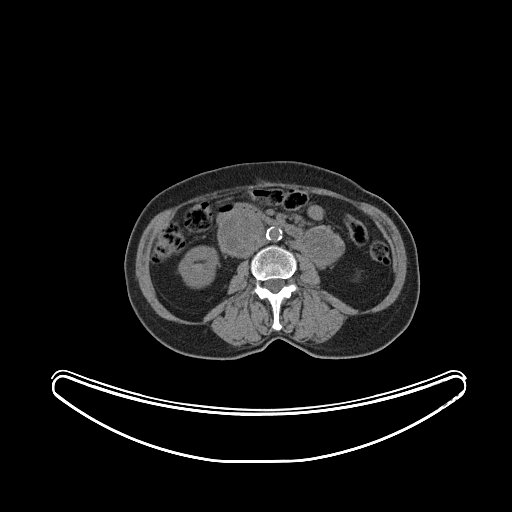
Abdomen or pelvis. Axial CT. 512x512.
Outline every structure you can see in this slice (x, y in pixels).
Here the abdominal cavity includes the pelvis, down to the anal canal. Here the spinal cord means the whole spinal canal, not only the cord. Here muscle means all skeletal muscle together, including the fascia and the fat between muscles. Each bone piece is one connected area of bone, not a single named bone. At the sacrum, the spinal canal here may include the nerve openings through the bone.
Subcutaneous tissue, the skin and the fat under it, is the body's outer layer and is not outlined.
Outlines:
muscle: 260,181 296,183 320,187 337,192 351,199 371,204 383,211 392,220 398,229 406,252 407,266 405,281 396,300 388,307 380,311 350,316 344,322 340,329 328,340 311,345 296,341 284,332 274,331 257,345 234,346 221,339 209,327 205,325 181,324 159,316 143,296 135,274 135,259 138,243 142,232 150,220 159,212 193,197 225,188 254,184 with a hole at 259,187 337,198 369,216 391,250 393,280 385,295 369,307 353,307 322,288 314,264 298,254 290,280 297,288 280,305 279,330 272,328 270,303 253,292 247,260 202,322 168,309 150,275 158,233 187,205
torso: 270,160 301,161 338,172 391,204 409,227 418,252 419,299 408,327 383,349 361,357 324,359 276,339 263,350 239,359 206,360 168,349 152,337 137,318 127,295 124,256 131,230 148,201 163,189 200,172
bones: 269,245 276,245 292,252 297,261 297,269 290,280 297,288 290,297 285,298 280,305 279,322 282,327 279,330 272,328 273,313 270,303 266,299 261,299 253,292 256,280 250,271 250,262 253,256 259,250; inner edge: 270,279 281,279 282,280 284,280 285,281 285,284 277,292 272,292 270,290 269,290 267,288 266,288 263,285 263,283 265,281 267,281 268,280 269,280
abdominal cavity: 259,187 293,188 337,198 369,216 391,250 393,280 385,295 369,307 353,307 321,287 309,259 269,244 249,263 238,264 227,285 228,295 202,322 168,309 158,298 150,275 151,249 158,233 187,205
spinal cord: 270,279 281,279 282,280 284,280 285,281 285,284 277,292 272,292 270,290 269,290 267,288 266,288 263,285 263,283 265,281 267,281 268,280 269,280